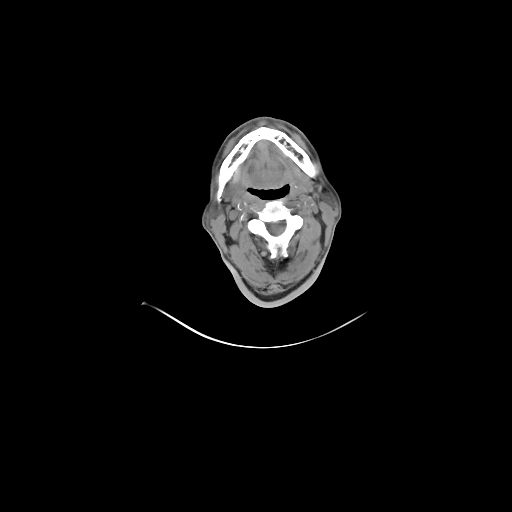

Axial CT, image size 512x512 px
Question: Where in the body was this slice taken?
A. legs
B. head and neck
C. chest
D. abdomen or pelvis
Answer: B. head and neck
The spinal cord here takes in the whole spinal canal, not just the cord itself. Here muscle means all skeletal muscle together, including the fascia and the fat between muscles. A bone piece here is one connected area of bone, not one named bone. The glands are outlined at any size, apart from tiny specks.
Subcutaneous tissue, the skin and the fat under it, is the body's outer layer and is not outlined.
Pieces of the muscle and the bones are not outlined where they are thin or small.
parotid glands 1: 324 192; 329 192; 333 196; 333 197; 334 198; 334 199; 335 200; 335 201; 336 202; 336 206; 335 207; 332 207; 330 205; 329 205; 328 204; 327 204; 324 201; 323 201; 321 199; 321 194; 322 193; 323 193
parotid glands 2: 212 203; 214 203; 217 206; 217 211; 216 212; 216 214; 215 215; 215 217; 214 218; 211 218; 210 219; 207 219; 207 218; 206 217; 206 215; 207 214; 207 213; 208 212; 208 211; 209 210; 209 209; 210 208; 210 205
parotid glands 3: 227 184; 228 184; 229 185; 230 185; 230 187; 231 188; 231 189; 232 190; 232 195; 231 196; 222 196; 223 195; 223 192; 224 191; 224 188; 226 186; 226 185
muscle: 260 121; 282 124; 301 137; 314 156; 321 177; 325 184; 325 189; 327 191; 324 191; 320 194; 320 199; 332 208; 337 208; 337 214; 334 219; 328 240; 325 245; 324 244; 322 246; 319 259; 315 263; 314 267; 293 287; 286 291; 267 296; 255 292; 240 275; 238 270; 223 251; 208 223; 208 220; 214 219; 216 217; 218 211; 218 206; 213 202; 213 178; 215 167; 226 144; 242 129, around holes outlined by 284 186; 288 186; 282 197; 284 205; 298 213; 302 217; 303 222; 288 242; 287 256; 278 255; 271 258; 267 248; 267 241; 261 236; 252 233; 247 226; 248 220; 256 215; 251 208; 261 210; 267 200; 249 190; 250 188; 273 190 and by 260 126; 275 128; 287 134; 309 156; 317 170; 315 177; 310 177; 305 173; 272 141; 260 139; 251 147; 246 158; 227 181; 226 183; 230 185; 232 190; 232 195; 222 196; 219 203; 216 199; 216 192; 219 170; 223 160; 242 136
bones 1: 260 126; 275 128; 287 134; 309 156; 317 170; 315 177; 310 177; 305 173; 272 141; 268 139; 260 139; 251 147; 246 158; 238 166; 225 184; 221 194; 221 201; 219 203; 216 199; 216 192; 218 188; 219 170; 223 160; 242 136
bones 2: 280 198; 282 198; 285 206; 292 208; 294 212; 302 217; 303 222; 288 242; 286 249; 287 256; 283 257; 278 255; 271 258; 267 248; 267 241; 261 236; 252 233; 248 229; 247 223; 250 218; 256 215; 251 208; 261 210; 267 200, around a hole outlined by 281 220; 284 220; 285 221; 285 227; 284 228; 284 229; 283 230; 283 231; 281 233; 280 233; 277 235; 274 235; 273 234; 272 234; 271 233; 270 233; 266 227; 266 223; 267 223; 268 222; 277 222; 278 221; 280 221
head and neck: 262 115; 286 120; 307 136; 317 150; 325 172; 339 194; 342 203; 341 218; 335 228; 330 249; 316 279; 295 298; 273 307; 256 305; 240 291; 218 249; 200 222; 202 210; 208 200; 210 164; 220 144; 227 134; 238 125; inner edge: 284 186; 288 186; 288 189; 285 193; 285 194; 282 197; 280 197; 279 198; 275 198; 274 199; 264 199; 250 192; 249 190; 250 188; 251 189; 255 189; 256 190; 271 190; 272 189; 273 190; 274 189; 281 188
spinal cord: 281 220; 284 220; 285 221; 285 227; 284 228; 284 229; 283 230; 283 231; 281 233; 280 233; 277 235; 274 235; 273 234; 272 234; 271 233; 270 233; 266 227; 266 223; 267 223; 268 222; 277 222; 278 221; 280 221